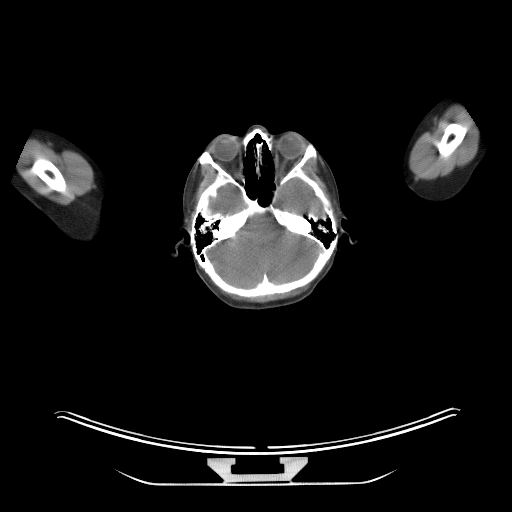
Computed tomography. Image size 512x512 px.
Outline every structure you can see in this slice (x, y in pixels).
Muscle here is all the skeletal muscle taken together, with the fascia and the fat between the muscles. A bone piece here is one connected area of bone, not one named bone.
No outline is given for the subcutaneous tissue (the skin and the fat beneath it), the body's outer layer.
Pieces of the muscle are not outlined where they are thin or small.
The left arm is outlined by [[448,94],[453,94],[465,108],[475,123],[480,134],[482,136],[486,144],[487,151],[484,157],[475,169],[469,181],[459,193],[450,199],[444,201],[428,201],[416,195],[406,185],[402,175],[402,159],[409,139],[421,118],[438,100]]. The muscle appears in 5 outlined pieces: piece 1: [[459,102],[465,108],[479,131],[478,149],[474,158],[465,166],[446,176],[438,177],[433,180],[418,180],[415,181],[414,180],[414,175],[409,169],[408,161],[410,152],[416,140],[424,131],[427,124],[435,116],[452,104],[456,104]] with a hole at [[449,123],[460,123],[462,124],[467,129],[467,130],[464,136],[464,138],[462,140],[462,141],[457,146],[457,147],[453,151],[453,152],[447,158],[445,158],[444,159],[439,155],[439,152],[438,151],[438,141],[439,141],[441,139],[443,135],[445,126]]; piece 2: [[30,136],[43,137],[50,142],[62,144],[78,152],[91,166],[94,174],[94,182],[96,187],[88,193],[82,196],[78,196],[72,202],[67,205],[59,204],[50,200],[45,196],[37,193],[23,179],[16,170],[16,164],[20,154],[24,148],[26,141]], around a hole outlined by [[42,156],[44,158],[52,162],[57,167],[57,168],[63,175],[64,179],[66,182],[66,186],[67,187],[64,193],[48,188],[46,184],[37,175],[36,175],[35,172],[33,170],[32,168],[32,165],[33,164],[34,160],[36,158],[40,158]]; piece 3: [[199,164],[200,165],[204,165],[205,164],[210,165],[215,170],[216,173],[214,179],[201,192],[197,199],[191,217],[190,228],[189,228],[187,225],[187,218],[188,217],[188,196],[189,195],[189,190],[192,182],[193,175],[196,171],[197,167]]; piece 4: [[317,157],[322,162],[322,164],[325,168],[325,171],[329,178],[329,183],[336,202],[336,209],[338,213],[337,221],[334,215],[334,210],[332,207],[332,204],[327,197],[325,192],[318,183],[308,175],[304,170],[304,166],[307,161],[310,159],[316,159]]; piece 5: [[206,274],[209,277],[211,281],[221,290],[229,294],[234,294],[241,297],[246,297],[247,298],[249,298],[250,297],[258,297],[259,296],[266,296],[267,295],[272,295],[273,294],[281,294],[282,293],[286,293],[294,289],[302,287],[310,283],[308,287],[305,290],[302,291],[296,295],[294,295],[290,297],[282,298],[281,299],[271,300],[270,301],[256,302],[255,301],[236,300],[226,296],[223,294],[210,281]]. The head is outlined by [[255,123],[270,134],[296,131],[317,149],[336,181],[347,217],[341,224],[357,239],[351,244],[341,236],[340,254],[309,296],[262,310],[238,309],[218,299],[196,273],[185,246],[171,256],[182,237],[190,242],[179,227],[192,165],[212,138],[243,136]]; inner edge: [[256,135],[260,137],[260,141],[254,141],[251,145],[256,178],[258,180],[260,179],[261,167],[264,165],[264,145],[266,144],[273,161],[274,187],[269,200],[264,205],[260,203],[257,196],[251,197],[247,193],[244,175],[244,158],[247,153],[247,146]]. The bones appear in 4 outlined pieces: piece 1: [[309,143],[315,148],[317,156],[308,159],[303,170],[324,192],[331,204],[336,220],[337,242],[329,259],[313,280],[286,292],[247,297],[221,289],[200,267],[190,244],[189,231],[196,204],[202,192],[215,179],[217,173],[210,164],[200,164],[198,158],[202,152],[207,150],[212,159],[233,177],[236,178],[243,172],[246,193],[251,198],[257,197],[259,203],[264,206],[270,200],[275,187],[274,172],[283,176],[300,161]], around holes outlined by [[266,214],[269,214],[279,226],[283,227],[288,232],[313,241],[319,248],[319,252],[311,267],[297,278],[274,282],[264,273],[261,279],[250,287],[238,286],[230,283],[216,270],[210,259],[210,250],[224,240],[235,238],[237,232],[250,218],[255,215]] and by [[294,179],[296,179],[303,182],[311,188],[313,191],[314,195],[319,200],[321,204],[321,211],[320,213],[316,213],[312,209],[309,209],[305,213],[298,213],[295,211],[290,211],[287,209],[284,209],[277,205],[278,200],[282,194],[282,188],[285,184]] and by [[229,185],[231,186],[232,188],[237,190],[239,194],[239,197],[244,205],[241,208],[237,209],[232,212],[228,211],[222,213],[220,211],[214,210],[210,205],[211,204],[211,200],[212,199],[215,200],[219,196],[219,190],[221,188],[226,187]]; piece 2: [[256,127],[267,131],[273,137],[273,147],[271,153],[267,147],[267,144],[265,143],[263,145],[263,165],[260,167],[259,179],[257,178],[255,172],[252,145],[254,142],[260,142],[261,137],[256,134],[247,144],[245,156],[242,145],[242,138],[246,132]]; piece 3: [[42,156],[44,158],[52,162],[57,167],[57,168],[63,175],[64,179],[66,182],[66,186],[67,187],[64,193],[48,188],[46,184],[37,175],[36,175],[35,172],[33,170],[32,168],[32,165],[33,164],[34,160],[36,158],[40,158]]; piece 4: [[449,123],[460,123],[462,124],[467,129],[467,130],[464,136],[464,138],[462,140],[462,141],[457,146],[457,147],[453,151],[453,152],[447,158],[445,158],[444,159],[439,155],[439,152],[438,151],[438,141],[439,141],[441,139],[443,135],[445,126]]. The brain appears in 3 outlined pieces: piece 1: [[266,214],[269,214],[279,226],[283,227],[288,232],[313,241],[319,248],[319,252],[311,267],[297,278],[274,282],[264,273],[261,279],[250,287],[238,286],[230,283],[216,270],[210,259],[210,250],[224,240],[235,238],[237,232],[250,218],[255,215]]; piece 2: [[294,179],[296,179],[303,182],[311,188],[313,191],[314,195],[319,200],[321,204],[321,211],[320,213],[316,213],[312,209],[309,209],[305,213],[298,213],[295,211],[290,211],[287,209],[284,209],[277,205],[278,200],[282,194],[282,188],[285,184]]; piece 3: [[229,185],[231,186],[232,188],[237,190],[239,194],[239,197],[244,205],[241,208],[237,209],[232,212],[228,211],[222,213],[220,211],[214,210],[210,205],[211,204],[211,200],[212,199],[215,200],[219,196],[219,190],[221,188],[226,187]]. The right arm is outlined by [[36,126],[52,130],[64,136],[76,144],[85,151],[96,162],[103,173],[106,182],[106,191],[103,198],[103,206],[102,207],[103,226],[99,236],[92,241],[80,242],[64,235],[41,211],[36,208],[11,185],[11,180],[20,154],[24,148],[28,137]].